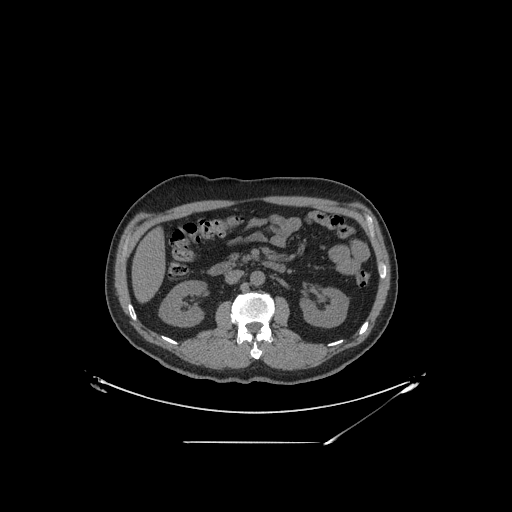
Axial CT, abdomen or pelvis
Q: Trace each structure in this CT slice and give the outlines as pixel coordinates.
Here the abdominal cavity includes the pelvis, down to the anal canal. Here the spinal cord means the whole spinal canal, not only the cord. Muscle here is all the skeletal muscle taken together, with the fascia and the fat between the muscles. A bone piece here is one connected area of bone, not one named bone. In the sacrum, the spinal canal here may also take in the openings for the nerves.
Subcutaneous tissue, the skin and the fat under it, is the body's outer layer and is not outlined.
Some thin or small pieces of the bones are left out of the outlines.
A: {"abdominal_cavity":[[[255,201],[338,213],[361,225],[370,240],[379,279],[371,307],[358,329],[326,343],[306,341],[288,327],[290,306],[286,298],[258,290],[221,301],[214,313],[215,327],[193,337],[176,340],[145,325],[132,303],[127,279],[128,259],[141,236],[162,222]]],"bones":[{"outer":[[248,291],[269,293],[273,298],[275,306],[274,313],[269,322],[272,340],[270,342],[261,340],[257,343],[262,352],[258,359],[250,355],[252,348],[250,342],[244,340],[239,344],[237,343],[237,328],[231,322],[230,317],[231,305],[235,297],[240,293]],"hole":[[252,322],[258,322],[261,324],[261,326],[259,328],[259,329],[258,330],[258,331],[255,333],[252,333],[251,332],[250,332],[246,326],[247,325],[247,324],[248,324],[249,323],[251,323]]},[[365,214],[368,214],[372,218],[372,221],[373,222],[373,225],[374,226],[374,232],[375,233],[375,236],[374,237],[374,239],[372,240],[370,239],[368,235],[368,228],[367,227],[367,225],[366,224],[366,221],[365,220],[365,217],[364,216]],[[380,261],[382,261],[384,263],[384,264],[385,265],[385,266],[386,267],[386,274],[385,275],[385,277],[384,278],[383,278],[382,279],[381,278],[380,278],[379,277],[379,273],[378,272],[378,263]],[[128,303],[131,303],[132,304],[132,305],[134,308],[134,310],[135,311],[135,312],[136,313],[136,315],[137,316],[137,318],[136,319],[136,320],[133,320],[130,317],[130,316],[129,315],[129,311],[128,310],[128,307],[127,306],[127,305],[128,304]],[[365,320],[366,320],[368,322],[368,325],[367,326],[367,328],[366,329],[366,330],[362,334],[359,334],[359,333],[358,332],[358,330],[359,329],[359,328],[360,327],[360,326],[363,323],[363,322]],[[161,334],[162,335],[164,335],[165,336],[167,336],[168,337],[169,337],[170,338],[171,338],[172,339],[177,341],[177,342],[178,343],[177,344],[172,344],[171,343],[170,343],[169,342],[168,342],[167,341],[162,339],[160,337],[160,335]],[[128,235],[129,235],[129,240],[128,241],[128,246],[127,247],[127,251],[126,252],[126,254],[124,257],[123,256],[123,254],[122,253],[123,252],[123,246],[124,245],[124,243],[125,242],[125,240],[126,239],[126,238]],[[339,339],[343,339],[343,341],[341,343],[340,343],[339,344],[337,344],[336,345],[333,345],[332,346],[328,346],[327,345],[327,343],[328,343],[329,342],[331,342],[332,341],[335,341],[336,340],[338,340]]],"spinal_cord":[[[252,322],[258,322],[261,324],[261,326],[259,328],[259,329],[258,330],[258,331],[255,333],[252,333],[251,332],[250,332],[246,326],[247,325],[247,324],[248,324],[249,323],[251,323]]],"muscle":[{"outer":[[272,195],[280,195],[281,196],[309,196],[310,197],[326,198],[327,199],[335,200],[339,202],[358,201],[364,204],[375,216],[380,227],[384,239],[384,243],[389,256],[389,262],[390,263],[390,285],[386,296],[385,303],[376,319],[375,324],[372,330],[368,336],[359,344],[353,347],[345,349],[335,354],[332,357],[317,366],[311,368],[307,368],[306,369],[295,369],[294,370],[283,370],[282,369],[273,368],[265,364],[260,360],[256,360],[249,365],[242,368],[225,368],[222,370],[211,369],[210,368],[207,368],[199,365],[195,365],[189,363],[178,357],[175,354],[170,352],[168,350],[164,349],[155,344],[150,343],[145,340],[129,323],[128,317],[124,313],[119,303],[119,300],[116,294],[116,290],[114,286],[114,265],[115,264],[115,258],[116,257],[117,247],[121,235],[123,233],[125,227],[130,220],[139,212],[153,212],[154,213],[158,213],[159,212],[163,212],[170,208],[182,204],[193,202],[194,201],[200,201],[201,200],[236,200],[237,199],[244,199],[250,197],[264,197],[265,196],[271,196]],"holes":[[[255,201],[342,214],[355,219],[367,234],[364,216],[372,218],[375,236],[370,242],[376,263],[384,263],[386,274],[378,280],[362,334],[356,330],[332,346],[306,341],[288,327],[290,306],[282,295],[273,298],[275,310],[269,322],[272,340],[257,343],[262,352],[258,359],[250,355],[250,342],[236,341],[231,299],[221,301],[215,309],[215,327],[177,344],[162,339],[138,317],[130,317],[128,259],[150,227],[197,212]],[[128,235],[129,235],[129,240],[128,241],[128,246],[127,247],[127,251],[126,252],[126,254],[124,257],[123,256],[123,254],[122,253],[123,252],[123,246],[124,245],[124,243],[125,242],[125,240],[126,239],[126,238]]]}],"torso":[[[186,173],[243,179],[317,176],[343,182],[363,193],[382,215],[390,232],[398,263],[396,305],[387,327],[377,341],[338,372],[296,384],[216,382],[192,378],[164,367],[132,346],[116,328],[105,301],[104,270],[109,245],[120,220],[140,196],[163,180]]]}